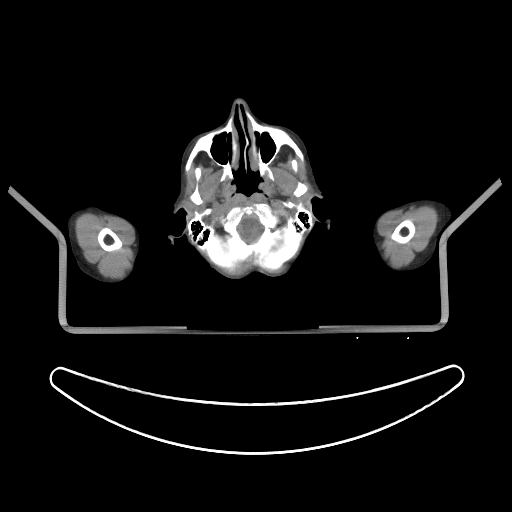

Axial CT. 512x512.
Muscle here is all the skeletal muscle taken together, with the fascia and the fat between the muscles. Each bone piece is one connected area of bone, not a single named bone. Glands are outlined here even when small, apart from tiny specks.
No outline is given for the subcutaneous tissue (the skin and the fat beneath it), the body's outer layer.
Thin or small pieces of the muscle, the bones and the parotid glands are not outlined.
{"right_arm":[[[90,205],[97,206],[104,210],[116,213],[125,218],[127,218],[136,226],[139,232],[139,252],[137,256],[136,267],[133,273],[123,281],[117,283],[105,283],[90,277],[80,270],[72,254],[68,240],[68,232],[66,226],[67,217],[72,211],[78,208]]],"bones":[{"outer":[[283,201],[310,206],[313,225],[297,254],[277,269],[258,269],[245,261],[229,270],[209,261],[188,237],[186,223],[194,211],[211,208],[211,212],[203,217],[208,223],[224,216],[232,207],[251,203],[267,203],[273,210],[291,215],[295,209],[285,207]],"hole":[[252,215],[254,215],[256,216],[259,223],[261,224],[261,225],[263,227],[263,229],[260,235],[255,240],[253,241],[247,241],[240,235],[240,233],[238,231],[237,229],[237,227],[240,223],[240,222],[242,220],[244,216],[251,216]]},{"outer":[[239,109],[248,110],[255,120],[261,124],[277,127],[288,133],[302,151],[304,161],[301,161],[294,151],[284,144],[269,165],[273,175],[272,180],[266,174],[261,177],[257,170],[251,169],[250,167],[246,170],[243,160],[245,138],[239,121],[237,111]],"hole":[[264,133],[267,134],[267,135],[271,140],[271,141],[273,144],[273,146],[274,147],[274,149],[273,150],[273,152],[272,153],[271,156],[266,161],[264,161],[264,160],[262,157],[262,153],[261,152],[261,148],[260,147],[260,142],[261,141],[261,136]]},{"outer":[[234,112],[233,122],[239,137],[239,160],[237,169],[234,169],[232,172],[233,180],[227,177],[221,181],[220,177],[222,174],[222,168],[217,165],[204,151],[200,151],[196,155],[186,173],[184,171],[185,163],[197,139],[212,130],[222,127]],"hole":[[223,133],[224,134],[227,134],[228,135],[229,134],[230,135],[230,144],[229,145],[229,150],[227,153],[228,154],[228,158],[227,160],[224,163],[222,163],[218,161],[214,157],[212,153],[212,147],[214,143],[214,138],[216,136],[220,134],[222,134]]},[[104,227],[107,227],[111,229],[118,236],[118,237],[120,239],[122,243],[122,245],[119,249],[117,249],[116,250],[113,250],[112,251],[106,251],[104,250],[100,246],[98,242],[98,240],[97,239],[97,235],[99,231],[102,228]],[[405,219],[410,219],[413,222],[413,223],[415,226],[415,232],[414,233],[413,236],[406,243],[399,243],[398,242],[397,242],[396,241],[393,240],[390,237],[390,236],[391,235],[392,232],[394,230],[395,227],[400,222],[401,222],[403,220],[404,220]],[[197,167],[199,167],[201,170],[200,179],[197,183],[198,185],[198,191],[199,192],[200,197],[203,201],[203,202],[201,204],[195,204],[192,201],[191,201],[189,197],[195,189],[195,186],[197,182],[196,180],[196,177],[195,176],[195,169]],[[298,181],[300,181],[302,183],[307,185],[307,186],[308,187],[308,189],[307,190],[307,191],[305,193],[304,193],[302,195],[297,197],[296,196],[295,196],[293,194],[293,192],[294,191],[294,190],[297,185],[297,182]]],"parotid_glands":[[[309,187],[310,188],[310,189],[311,190],[312,190],[313,190],[313,191],[313,192],[312,193],[311,194],[310,194],[309,195],[308,196],[308,195],[308,194],[308,193],[308,192],[308,191],[308,190],[309,189],[309,188]],[[183,202],[184,202],[185,202],[186,202],[187,203],[187,204],[187,205],[187,206],[186,205],[185,205],[184,205],[183,204],[182,203]]],"muscle":[{"outer":[[284,145],[301,162],[305,160],[313,189],[298,180],[292,194],[298,198],[307,192],[306,206],[302,201],[283,200],[285,208],[294,209],[291,214],[275,210],[267,202],[251,202],[232,206],[224,215],[208,222],[204,217],[212,212],[211,207],[194,210],[191,216],[188,203],[181,202],[186,186],[184,172],[189,171],[200,152],[221,168],[221,182],[228,178],[238,192],[248,196],[258,190],[265,175],[274,179],[270,165]],"holes":[[[197,167],[199,167],[201,170],[200,179],[197,183],[198,185],[198,191],[199,192],[200,197],[203,201],[203,202],[201,204],[195,204],[192,201],[191,201],[189,197],[195,189],[195,186],[197,182],[196,180],[196,177],[195,176],[195,169]],[[293,159],[295,159],[296,160],[296,161],[297,162],[297,171],[296,172],[295,172],[293,170],[293,169],[292,168],[292,165],[291,164],[291,161]]]},{"outer":[[86,212],[102,215],[110,215],[120,218],[127,222],[133,228],[135,234],[135,239],[132,246],[134,255],[131,262],[130,269],[123,276],[115,279],[106,278],[101,275],[95,266],[89,263],[83,256],[82,250],[76,239],[74,223],[75,219],[79,215]],"hole":[[104,227],[107,227],[111,229],[118,236],[118,237],[120,239],[122,243],[122,245],[119,249],[117,249],[116,250],[113,250],[112,251],[106,251],[104,250],[100,246],[98,242],[98,240],[97,239],[97,235],[99,231],[102,228]]},{"outer":[[426,204],[433,206],[437,210],[439,217],[436,229],[427,246],[422,251],[418,252],[414,259],[408,265],[400,267],[392,265],[385,258],[383,250],[381,248],[382,237],[377,231],[377,225],[380,219],[390,211],[398,209],[406,210],[412,205],[420,206]],"hole":[[405,219],[410,219],[413,222],[413,223],[415,226],[415,232],[414,233],[413,236],[406,243],[399,243],[398,242],[397,242],[396,241],[393,240],[390,237],[390,236],[391,235],[392,232],[394,230],[395,227],[400,222],[401,222],[403,220],[404,220]]},[[245,262],[248,262],[250,264],[251,264],[252,266],[257,268],[255,269],[250,269],[249,270],[244,271],[241,273],[237,273],[236,274],[229,274],[228,273],[226,273],[222,271],[214,265],[221,268],[227,269],[229,271],[233,271],[235,270],[241,264]],[[288,261],[289,261],[287,263],[287,265],[283,269],[279,271],[276,271],[275,272],[269,272],[268,271],[266,271],[264,270],[266,270],[267,271],[274,271],[275,270],[277,270],[279,269],[283,265],[284,263]]],"head":[{"outer":[[236,97],[245,99],[260,119],[288,127],[302,139],[323,196],[311,199],[312,212],[331,220],[329,229],[313,224],[301,255],[279,277],[255,273],[225,279],[184,235],[173,244],[168,238],[186,225],[183,208],[173,214],[183,151],[195,135],[227,118]],"holes":[[[236,111],[244,138],[244,144],[242,148],[242,160],[244,169],[246,171],[249,168],[251,170],[255,170],[258,172],[260,177],[260,180],[257,184],[257,190],[248,195],[238,191],[234,182],[233,172],[234,170],[238,169],[240,160],[240,137],[234,122]],[[223,133],[224,134],[227,134],[228,135],[229,134],[230,135],[230,144],[229,145],[229,150],[227,153],[228,154],[228,158],[227,160],[224,163],[222,163],[218,161],[214,157],[212,153],[212,147],[214,143],[214,138],[216,136],[220,134],[222,134]],[[264,133],[267,134],[267,135],[271,140],[271,141],[273,144],[273,146],[274,147],[274,149],[273,150],[273,152],[272,153],[271,156],[266,161],[264,161],[264,160],[262,157],[262,153],[261,152],[261,148],[260,147],[260,142],[261,141],[261,136]]]}],"brain":[[[252,215],[254,215],[256,216],[259,223],[261,224],[261,225],[263,227],[263,229],[260,235],[255,240],[253,241],[247,241],[240,235],[240,233],[238,231],[237,229],[237,227],[240,223],[240,222],[242,220],[244,216],[251,216]]],"left_arm":[[[421,198],[431,198],[439,200],[447,204],[452,212],[451,216],[452,220],[442,229],[438,238],[438,246],[435,249],[431,258],[425,264],[410,271],[405,272],[391,271],[382,263],[376,251],[372,238],[372,228],[374,222],[376,218],[385,210],[406,202]]]}